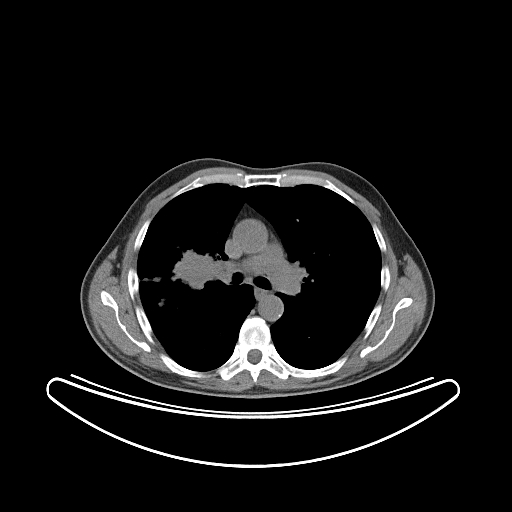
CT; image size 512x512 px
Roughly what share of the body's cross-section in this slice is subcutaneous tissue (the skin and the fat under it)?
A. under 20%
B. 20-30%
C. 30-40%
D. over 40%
Answer: A. under 20%
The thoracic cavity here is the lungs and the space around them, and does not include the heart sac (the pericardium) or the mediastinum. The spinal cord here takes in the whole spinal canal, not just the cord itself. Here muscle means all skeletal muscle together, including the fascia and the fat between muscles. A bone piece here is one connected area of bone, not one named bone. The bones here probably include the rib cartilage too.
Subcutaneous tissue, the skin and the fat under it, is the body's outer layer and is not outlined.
{"bones":[{"outer":[[253,316],[265,321],[275,349],[294,367],[311,370],[345,355],[347,359],[337,371],[315,377],[289,375],[282,379],[262,369],[255,383],[246,369],[227,380],[217,374],[191,377],[173,372],[160,358],[161,352],[185,368],[214,370],[230,357],[244,320]],"hole":[[254,349],[256,349],[257,350],[260,351],[260,352],[261,353],[261,356],[260,357],[260,359],[257,362],[256,362],[255,363],[253,363],[252,362],[249,361],[249,360],[248,359],[248,353],[249,352],[249,351],[250,351],[251,350],[253,350]]},[[237,172],[244,175],[286,173],[318,176],[328,179],[352,198],[356,204],[350,202],[340,194],[326,187],[313,183],[300,183],[291,186],[259,184],[247,187],[241,187],[224,182],[214,182],[185,191],[168,201],[171,195],[199,176],[215,173],[236,173]],[[102,290],[108,292],[115,300],[118,307],[118,316],[120,319],[120,321],[125,326],[127,331],[136,340],[146,342],[151,349],[150,351],[144,350],[141,347],[134,343],[126,335],[117,322],[114,309],[110,306],[105,305],[102,302],[100,296],[100,293]],[[404,297],[410,297],[412,299],[412,302],[408,306],[401,308],[396,312],[394,325],[385,340],[375,349],[370,351],[363,357],[360,357],[360,352],[362,349],[367,346],[373,346],[375,345],[383,337],[386,330],[391,324],[393,309],[399,300]],[[135,306],[141,306],[142,307],[144,311],[144,313],[150,324],[150,326],[151,327],[151,329],[153,333],[152,337],[154,340],[154,343],[151,343],[149,342],[146,336],[144,334],[139,324],[139,322],[138,321],[138,319],[136,315],[136,312],[135,311]],[[131,267],[132,267],[133,268],[136,269],[136,272],[137,273],[137,276],[138,277],[138,293],[137,294],[136,294],[134,296],[134,299],[132,299],[130,296],[130,293],[129,292],[129,289],[128,288],[128,282],[127,281],[127,275],[128,274],[128,270]],[[378,303],[380,303],[381,304],[381,310],[379,313],[379,315],[371,331],[369,333],[367,337],[365,339],[364,339],[363,338],[363,335],[364,334],[364,331],[363,330],[364,329],[364,327],[367,322],[367,320],[373,308],[375,306],[375,305]],[[149,218],[151,219],[151,221],[147,228],[147,230],[145,233],[145,235],[142,241],[142,243],[140,246],[140,248],[139,250],[137,250],[136,251],[134,250],[134,243],[135,242],[135,240],[136,239],[137,234],[141,226],[143,224],[144,221]],[[382,265],[387,265],[388,266],[388,268],[389,269],[389,273],[390,274],[390,279],[389,280],[389,285],[388,286],[388,287],[387,288],[387,289],[385,291],[384,290],[383,290],[381,288],[381,268],[382,267]],[[372,223],[375,223],[377,225],[378,228],[380,230],[382,234],[382,236],[385,243],[385,248],[386,249],[384,252],[381,252],[379,248],[378,243],[376,240],[376,238],[375,237],[375,235],[374,234],[374,232],[371,225]]],"spinal_cord":[[[254,349],[256,349],[257,350],[260,351],[260,352],[261,353],[261,356],[260,357],[260,359],[257,362],[256,362],[255,363],[253,363],[252,362],[249,361],[249,360],[248,359],[248,353],[249,352],[249,351],[250,351],[251,350],[253,350]]],"muscle":[{"outer":[[210,167],[237,168],[247,173],[237,171],[199,175],[171,194],[152,219],[145,219],[140,226],[133,243],[133,250],[138,251],[136,268],[131,266],[126,275],[130,298],[134,300],[138,294],[141,303],[134,306],[138,324],[149,343],[155,343],[153,335],[160,343],[165,352],[161,351],[158,356],[173,373],[191,378],[217,375],[227,381],[246,370],[255,384],[262,370],[282,380],[289,376],[322,377],[337,372],[345,364],[348,356],[343,354],[362,331],[364,340],[372,331],[382,310],[382,304],[376,303],[380,291],[388,289],[391,279],[389,266],[382,264],[381,253],[387,249],[381,230],[375,222],[370,223],[352,197],[328,178],[279,172],[289,169],[327,173],[362,195],[379,211],[381,224],[396,258],[398,260],[408,253],[421,271],[427,301],[418,327],[398,349],[384,359],[370,362],[362,370],[331,383],[295,389],[270,389],[257,385],[242,391],[201,388],[183,383],[173,375],[130,362],[111,349],[95,328],[88,306],[89,286],[96,269],[117,245],[117,260],[121,259],[129,234],[153,197],[193,172]],"holes":[[[102,290],[108,292],[115,300],[118,307],[118,316],[120,319],[120,321],[125,326],[127,331],[136,340],[146,342],[151,349],[150,351],[144,350],[141,347],[134,343],[126,335],[117,322],[114,309],[110,306],[105,305],[102,302],[100,296],[100,293]],[[404,297],[410,297],[412,299],[412,302],[408,306],[401,308],[396,312],[394,325],[385,340],[375,349],[370,351],[363,357],[360,357],[360,352],[362,349],[367,346],[373,346],[375,345],[383,337],[386,330],[391,324],[393,309],[399,300]]]}],"mediastinum":[[[245,202],[270,222],[287,253],[288,260],[293,264],[292,292],[289,294],[277,293],[283,302],[283,312],[270,326],[260,316],[247,316],[255,304],[252,286],[246,283],[230,285],[228,281],[229,268],[226,263],[228,256],[225,252],[225,242],[233,222]]],"torso":[[[203,157],[262,168],[325,161],[349,168],[367,179],[384,197],[421,252],[434,285],[431,320],[410,353],[395,366],[352,385],[269,398],[211,396],[162,387],[142,379],[108,357],[91,337],[82,316],[80,287],[84,274],[128,207],[148,184],[180,163]]],"thoracic_cavity":[[[214,183],[321,186],[369,222],[380,290],[336,360],[301,368],[276,349],[270,327],[284,312],[278,293],[293,292],[294,264],[271,222],[246,201],[224,252],[228,284],[251,286],[254,304],[231,354],[202,371],[166,353],[140,299],[138,254],[170,200]]]}